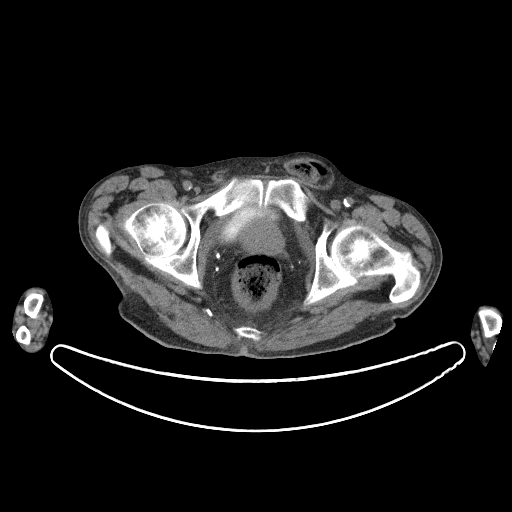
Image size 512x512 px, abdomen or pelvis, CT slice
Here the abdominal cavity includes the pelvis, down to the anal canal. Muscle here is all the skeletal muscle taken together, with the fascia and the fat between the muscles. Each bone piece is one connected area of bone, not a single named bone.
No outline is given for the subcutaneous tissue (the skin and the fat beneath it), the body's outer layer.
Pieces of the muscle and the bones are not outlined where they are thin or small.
The bones appear in 7 outlined pieces: piece 1: (234, 176) (257, 178) (265, 184) (271, 179) (294, 179) (309, 200) (304, 221) (294, 220) (273, 203) (247, 203) (222, 216) (209, 210) (199, 227) (199, 289) (144, 260) (136, 242) (122, 227) (125, 218) (151, 202) (165, 202) (178, 210) (199, 202); piece 2: (325, 219) (336, 224) (327, 238) (328, 248) (338, 230) (360, 224) (371, 229) (392, 248) (409, 250) (412, 263) (420, 272) (420, 284) (414, 295) (393, 303) (389, 299) (395, 281) (393, 276) (365, 275) (355, 284) (305, 306) (303, 301) (311, 289) (315, 272) (315, 244); piece 3: (484, 308) (491, 308) (493, 309) (496, 311) (501, 317) (501, 325) (500, 326) (499, 332) (496, 335) (494, 335) (491, 337) (485, 337) (484, 336) (484, 334) (483, 333) (483, 329) (482, 328) (482, 326) (480, 322) (480, 319) (478, 315) (478, 312) (479, 310) (483, 309); piece 4: (31, 292) (36, 292) (37, 293) (40, 293) (42, 294) (44, 297) (44, 299) (43, 300) (42, 305) (38, 312) (38, 314) (36, 318) (32, 318) (28, 316) (25, 313) (24, 311) (24, 308) (23, 307) (23, 302) (24, 301) (24, 299) (25, 297) (29, 293); piece 5: (101, 223) (104, 223) (106, 225) (109, 231) (109, 237) (110, 238) (110, 241) (111, 242) (111, 247) (112, 248) (112, 251) (109, 256) (107, 256) (105, 255) (100, 245) (98, 243) (97, 241) (97, 239) (95, 236) (95, 230) (97, 226); piece 6: (241, 326) (250, 326) (251, 327) (253, 327) (261, 331) (262, 332) (262, 334) (261, 335) (260, 339) (256, 341) (255, 340) (253, 340) (251, 338) (247, 338) (246, 337) (240, 337) (238, 338) (236, 333) (234, 332) (233, 328) (235, 328) (236, 327) (240, 327); piece 7: (21, 325) (24, 325) (29, 330) (29, 332) (30, 333) (30, 336) (31, 337) (31, 339) (30, 340) (30, 342) (29, 343) (29, 344) (23, 344) (22, 343) (21, 343) (20, 342) (17, 341) (17, 340) (15, 337) (15, 333) (16, 332) (17, 329). The abdominal cavity appears in 2 outlined pieces: piece 1: (254, 203) (259, 206) (273, 204) (293, 220) (293, 229) (298, 245) (308, 266) (305, 275) (304, 297) (298, 298) (284, 310) (260, 323) (249, 318) (244, 321) (238, 320) (226, 312) (211, 297) (204, 286) (206, 268) (212, 256) (212, 249) (227, 215) (242, 206); piece 2: (305, 161) (314, 161) (315, 162) (317, 162) (323, 168) (326, 168) (328, 169) (331, 173) (331, 177) (330, 178) (329, 182) (326, 183) (324, 185) (314, 183) (312, 181) (306, 179) (293, 169) (291, 169) (289, 167) (290, 164) (297, 164) (298, 163) (301, 163). The left arm is outlined by (482, 304) (492, 304) (493, 305) (495, 305) (503, 314) (501, 318) (501, 325) (500, 326) (500, 329) (499, 330) (499, 332) (496, 335) (495, 345) (485, 366) (483, 366) (479, 361) (476, 355) (474, 346) (470, 338) (470, 328) (471, 327) (473, 314) (478, 306). The torso is outlined by (295, 151) (326, 157) (355, 182) (412, 205) (431, 225) (441, 244) (442, 265) (431, 291) (412, 313) (398, 318) (389, 332) (358, 344) (270, 359) (166, 347) (119, 315) (120, 291) (87, 252) (78, 232) (80, 203) (96, 181) (144, 163) (194, 166) (237, 156) (277, 156). The muscle appears in 3 outlined pieces: piece 1: (305, 156) (315, 160) (319, 160) (324, 164) (331, 167) (335, 172) (335, 182) (333, 186) (330, 189) (318, 189) (312, 187) (310, 189) (315, 194) (330, 199) (345, 200) (348, 198) (360, 197) (367, 193) (379, 193) (397, 199) (408, 206) (413, 214) (424, 226) (430, 237) (432, 248) (434, 250) (434, 266) (431, 271) (431, 275) (424, 290) (416, 300) (404, 308) (398, 308) (393, 310) (385, 311) (379, 315) (377, 315) (374, 319) (365, 319) (359, 326) (356, 327) (353, 330) (347, 331) (333, 338) (326, 339) (293, 349) (279, 350) (278, 351) (259, 351) (251, 347) (244, 347) (242, 345) (231, 345) (226, 348) (221, 348) (220, 347) (207, 346) (188, 340) (172, 331) (159, 320) (158, 316) (146, 302) (137, 293) (131, 291) (125, 285) (122, 278) (107, 262) (96, 253) (91, 247) (85, 235) (84, 232) (84, 213) (89, 197) (104, 181) (121, 173) (132, 170) (141, 166) (155, 166) (165, 169) (177, 175) (183, 176) (186, 178) (189, 178) (192, 180) (203, 183) (206, 185) (212, 187) (217, 187) (231, 175) (238, 175) (239, 174) (288, 175) (289, 174) (284, 169) (283, 164) (290, 159); inner edges: (234, 176) (265, 184) (292, 178) (307, 196) (306, 219) (292, 221) (308, 266) (306, 295) (325, 219) (336, 224) (327, 238) (328, 248) (338, 230) (360, 224) (392, 248) (409, 250) (420, 272) (414, 295) (393, 303) (389, 299) (393, 276) (365, 275) (307, 306) (298, 298) (266, 321) (240, 321) (204, 286) (212, 249) (227, 217) (212, 210) (199, 227) (196, 269) (201, 288) (147, 263) (122, 227) (124, 219) (151, 202) (165, 202) (178, 210) (199, 202), then (305, 161) (314, 161) (315, 162) (317, 162) (323, 168) (326, 168) (328, 169) (331, 173) (331, 177) (330, 178) (329, 182) (326, 183) (324, 185) (314, 183) (312, 181) (306, 179) (293, 169) (291, 169) (289, 167) (290, 164) (297, 164) (298, 163) (301, 163), then (101, 223) (104, 223) (106, 225) (109, 231) (109, 237) (110, 238) (110, 241) (111, 242) (111, 247) (112, 248) (112, 251) (109, 256) (107, 256) (105, 255) (100, 245) (98, 243) (97, 241) (97, 239) (95, 236) (95, 230) (97, 226), then (241, 326) (250, 326) (251, 327) (253, 327) (261, 331) (262, 332) (262, 334) (261, 335) (260, 339) (256, 341) (255, 340) (253, 340) (251, 338) (247, 338) (246, 337) (240, 337) (238, 338) (236, 333) (234, 332) (233, 328) (235, 328) (236, 327) (240, 327), then (205, 308) (206, 308) (207, 308) (208, 308) (209, 308) (210, 309) (210, 310) (211, 311) (212, 312) (212, 313) (212, 314) (212, 315) (212, 316) (211, 316) (210, 316) (209, 316) (209, 315) (208, 314) (207, 313) (206, 312) (205, 311) (205, 310) (205, 309); piece 2: (32, 289) (39, 289) (44, 292) (47, 299) (47, 307) (51, 315) (51, 320) (46, 335) (42, 339) (37, 347) (35, 348) (25, 348) (23, 345) (29, 345) (32, 339) (30, 330) (24, 324) (21, 324) (16, 329) (14, 333) (14, 316) (17, 308) (22, 301) (22, 299); inner edge: (31, 292) (36, 292) (37, 293) (40, 293) (42, 294) (44, 297) (44, 299) (43, 300) (42, 305) (38, 312) (38, 314) (36, 318) (32, 318) (28, 316) (25, 313) (24, 311) (24, 308) (23, 307) (23, 302) (24, 301) (24, 299) (25, 297) (29, 293); piece 3: (479, 321) (481, 328) (482, 329) (482, 333) (483, 334) (483, 336) (485, 338) (491, 338) (494, 336) (496, 336) (496, 339) (493, 341) (491, 346) (492, 352) (489, 357) (488, 361) (487, 361) (481, 354) (481, 351) (476, 339) (476, 331) (477, 330) (477, 327) (479, 324). The right arm is outlined by (31, 286) (41, 286) (43, 287) (47, 291) (50, 297) (52, 303) (52, 307) (53, 308) (53, 321) (49, 330) (46, 343) (39, 351) (34, 353) (28, 353) (19, 347) (18, 342) (14, 334) (12, 332) (12, 328) (11, 327) (12, 316) (17, 301) (22, 292) (26, 288).